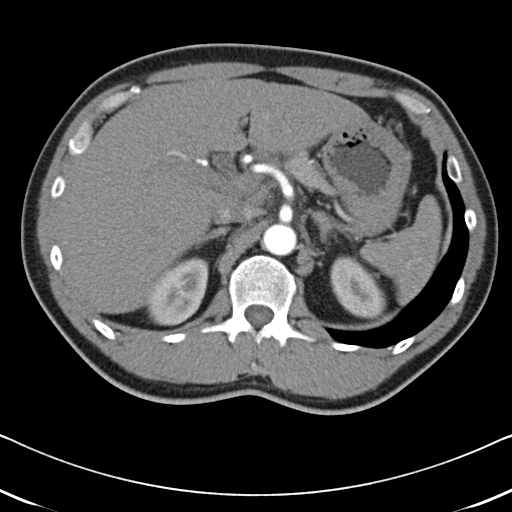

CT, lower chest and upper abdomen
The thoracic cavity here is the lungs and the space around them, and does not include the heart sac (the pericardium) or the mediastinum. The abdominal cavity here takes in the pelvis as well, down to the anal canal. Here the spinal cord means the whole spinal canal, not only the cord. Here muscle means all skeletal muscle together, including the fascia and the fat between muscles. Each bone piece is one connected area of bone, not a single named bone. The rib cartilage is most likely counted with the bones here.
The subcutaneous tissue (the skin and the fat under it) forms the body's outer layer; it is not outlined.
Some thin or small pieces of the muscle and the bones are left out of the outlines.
{"spinal_cord":[[[251,305],[262,305],[263,306],[265,306],[266,307],[269,308],[272,311],[272,313],[273,314],[273,315],[272,316],[272,318],[268,322],[267,322],[259,328],[256,328],[252,324],[251,324],[251,323],[245,316],[245,310],[249,306],[250,306]]],"thoracic_cavity":[[[446,154],[446,173],[456,185],[463,201],[463,218],[468,230],[466,257],[448,302],[427,325],[393,345],[370,347],[335,340],[326,330],[327,329],[345,332],[366,332],[380,328],[395,319],[424,289],[446,255],[450,247],[453,232],[453,210],[442,173]]],"bones":[{"outer":[[257,254],[277,259],[293,274],[296,291],[287,320],[295,329],[315,337],[315,341],[289,337],[285,345],[280,346],[271,336],[263,337],[257,344],[250,332],[240,331],[231,343],[224,331],[200,331],[231,315],[228,291],[230,274],[242,260]],"hole":[[251,305],[262,305],[263,306],[265,306],[266,307],[269,308],[272,311],[272,313],[273,314],[273,315],[272,316],[272,318],[268,322],[267,322],[259,328],[256,328],[252,324],[251,324],[251,323],[245,316],[245,310],[249,306],[250,306]]},[[91,115],[94,115],[94,117],[91,119],[91,123],[92,124],[92,128],[93,129],[92,130],[91,137],[85,149],[81,153],[77,155],[72,155],[70,154],[68,151],[68,143],[69,142],[69,140],[70,138],[71,138],[77,131],[82,121]],[[133,85],[134,86],[138,85],[140,87],[141,89],[138,92],[138,93],[136,93],[132,95],[123,103],[117,107],[115,107],[113,109],[107,110],[106,111],[101,111],[100,112],[97,112],[96,111],[97,106],[104,98],[116,92],[126,90]],[[394,91],[396,91],[397,92],[400,92],[401,93],[406,94],[422,102],[426,106],[430,108],[430,111],[426,114],[418,114],[417,113],[415,113],[413,111],[410,110],[407,107],[403,105],[394,97],[393,95],[393,92]],[[447,152],[450,152],[456,158],[456,159],[459,164],[459,167],[460,168],[460,171],[461,172],[461,175],[462,176],[462,180],[458,183],[455,183],[450,178],[450,177],[447,173],[447,170],[446,169],[446,158],[447,157]],[[461,274],[462,274],[463,275],[463,277],[464,278],[464,290],[463,291],[463,294],[462,295],[460,300],[458,302],[457,302],[455,304],[453,304],[452,305],[451,305],[448,303],[452,296],[452,294],[453,293],[454,288],[456,285],[456,283]],[[93,318],[96,318],[97,319],[100,320],[102,322],[103,322],[108,326],[109,326],[114,331],[114,332],[115,333],[115,338],[114,339],[110,339],[109,338],[106,337],[103,334],[102,334],[95,327],[94,324],[92,322],[92,319]],[[413,335],[415,335],[415,338],[414,339],[413,342],[405,350],[404,350],[399,353],[397,353],[396,354],[393,354],[392,353],[392,351],[391,350],[391,349],[388,347],[389,346],[392,347],[396,343],[397,343],[398,342],[399,342],[408,337],[410,337]]],"torso":[[[224,42],[320,50],[406,72],[441,96],[483,167],[498,220],[497,263],[488,297],[441,357],[377,405],[322,415],[256,395],[195,404],[137,397],[108,382],[82,359],[29,285],[20,245],[23,198],[35,161],[70,104],[97,77],[127,61],[177,46]]],"abdominal_cavity":[[[258,72],[347,95],[391,97],[427,118],[447,150],[441,173],[452,232],[445,255],[395,318],[366,331],[325,329],[310,315],[294,274],[263,253],[242,259],[205,311],[177,327],[112,328],[79,301],[62,267],[56,206],[72,162],[107,113],[152,84]]],"muscle":[{"outer":[[217,61],[246,62],[247,63],[254,63],[266,67],[311,66],[318,68],[330,68],[339,71],[351,72],[365,75],[369,77],[373,77],[391,83],[394,86],[401,86],[409,88],[423,95],[436,106],[451,128],[462,149],[465,159],[470,168],[476,189],[476,193],[485,216],[486,237],[483,246],[484,250],[483,260],[480,267],[476,272],[475,279],[471,284],[469,289],[469,293],[461,314],[455,324],[437,342],[403,364],[388,378],[385,379],[375,388],[350,397],[339,399],[328,399],[324,397],[301,395],[292,393],[289,391],[284,391],[273,386],[270,381],[260,375],[253,375],[250,377],[245,377],[229,382],[212,383],[211,384],[172,383],[160,380],[145,379],[125,370],[108,356],[105,355],[98,347],[80,333],[64,314],[51,291],[47,269],[40,253],[40,248],[36,235],[36,222],[38,216],[38,198],[40,195],[43,180],[46,175],[56,148],[65,131],[75,116],[87,103],[98,94],[117,84],[131,81],[132,79],[140,75],[149,74],[158,70],[177,67],[188,63],[195,64],[202,62],[216,62]],"holes":[[[258,72],[277,72],[354,96],[393,98],[396,91],[430,108],[422,115],[459,164],[462,180],[455,184],[464,206],[474,211],[476,226],[468,232],[460,300],[447,303],[405,350],[331,347],[334,339],[310,315],[297,288],[287,320],[315,337],[313,342],[289,337],[280,346],[271,336],[257,344],[250,332],[240,331],[231,343],[224,331],[201,332],[232,313],[224,282],[205,311],[181,325],[149,333],[114,329],[110,339],[95,327],[94,315],[72,291],[64,269],[54,269],[50,251],[58,243],[59,198],[51,196],[51,187],[58,175],[66,178],[78,157],[69,153],[68,143],[82,121],[94,115],[93,128],[111,111],[96,111],[104,98],[133,85],[142,90],[162,82]],[[179,332],[182,332],[183,333],[185,333],[186,334],[186,337],[185,338],[185,339],[184,339],[181,341],[179,341],[178,342],[166,342],[165,341],[163,341],[161,339],[161,337],[164,335],[166,335],[167,334],[171,334],[172,333],[178,333]]]}]}